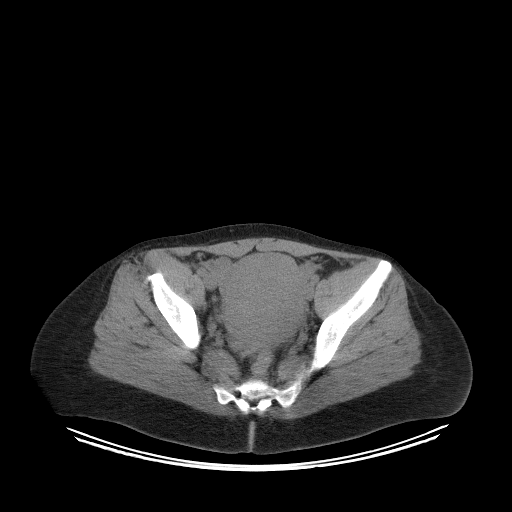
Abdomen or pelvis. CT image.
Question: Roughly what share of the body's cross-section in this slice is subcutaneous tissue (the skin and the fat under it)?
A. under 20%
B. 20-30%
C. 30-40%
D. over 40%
Answer: C. 30-40%
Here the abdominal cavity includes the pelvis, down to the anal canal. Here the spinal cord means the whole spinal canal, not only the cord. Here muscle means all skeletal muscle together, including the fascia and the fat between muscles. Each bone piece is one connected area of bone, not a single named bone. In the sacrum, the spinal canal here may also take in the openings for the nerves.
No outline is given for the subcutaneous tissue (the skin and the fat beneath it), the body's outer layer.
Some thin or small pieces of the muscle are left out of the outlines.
The bones appear in 2 outlined pieces: piece 1: 379,259 388,260 392,270 372,305 348,328 331,360 304,380 290,406 283,407 274,400 260,414 256,410 244,414 233,401 218,402 214,384 229,388 252,378 286,388 297,374 309,366 315,337 323,319 356,291; piece 2: 157,271 161,272 167,284 178,295 186,300 193,307 198,321 198,329 201,334 201,339 197,348 195,349 190,349 186,347 180,338 173,331 165,318 158,309 153,299 150,282 146,279 146,277 149,274 154,273. The torso is outlined by 248,222 294,227 332,240 377,249 397,260 448,310 465,337 472,360 473,379 460,409 450,416 409,421 338,443 264,455 202,450 160,440 113,422 55,413 30,374 30,354 44,320 74,287 99,265 143,240. The muscle appears in 3 outlined pieces: piece 1: 249,237 289,239 383,258 355,291 322,319 314,308 318,282 349,266 326,253 297,256 254,247 238,256 206,251 178,256 203,282 204,302 197,310 168,284 161,271 145,277 157,309 186,348 197,349 203,338 235,360 244,380 229,387 214,383 212,388 219,404 233,402 245,415 210,414 90,368 87,357 95,337 93,326 106,304 115,271 127,255; piece 2: 393,264 407,284 409,311 420,334 421,361 415,366 414,373 369,393 298,418 271,419 266,416 248,414 251,411 256,411 260,415 274,401 283,408 288,408 295,402 305,380 332,360 349,328 373,305 393,270; piece 3: 310,346 313,346 313,347 311,353 311,359 308,366 297,373 295,378 286,387 281,388 274,386 268,382 268,380 270,380 276,375 274,374 276,372 278,364 280,361 294,352 296,352 297,354 305,353 309,350. The abdominal cavity is outlined by 254,248 297,257 326,254 348,264 320,279 315,286 313,308 322,320 314,344 305,352 294,351 280,360 275,375 267,381 245,379 227,351 202,338 196,311 205,302 204,282 188,262 178,257 194,252 238,257. The spinal cord is outlined by 258,399 258,400 257,401 257,402 256,403 256,404 254,404 253,405 252,405 247,400 257,400.